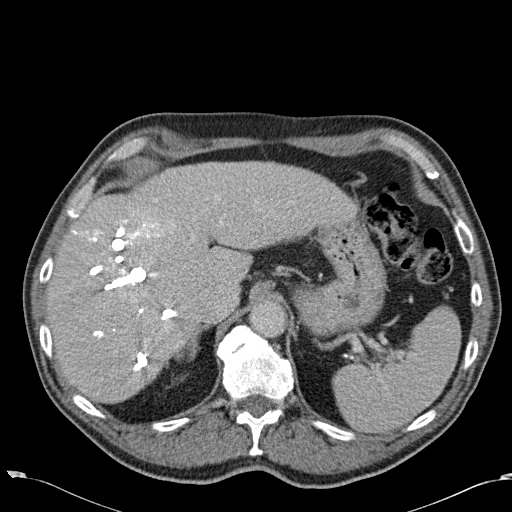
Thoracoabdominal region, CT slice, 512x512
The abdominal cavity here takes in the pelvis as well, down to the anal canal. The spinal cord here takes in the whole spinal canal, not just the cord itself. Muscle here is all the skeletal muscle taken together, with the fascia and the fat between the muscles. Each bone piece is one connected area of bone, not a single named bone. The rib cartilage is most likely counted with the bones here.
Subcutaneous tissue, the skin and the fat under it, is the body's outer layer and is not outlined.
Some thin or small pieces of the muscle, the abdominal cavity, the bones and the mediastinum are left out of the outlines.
Outlines (x, y in pixels):
spinal cord: (251, 395) (261, 395) (262, 396) (264, 396) (267, 398) (269, 398) (271, 399) (273, 403) (273, 406) (272, 408) (267, 410) (263, 414) (257, 417) (254, 416) (247, 410) (245, 409) (243, 409) (242, 408) (242, 404) (241, 403) (241, 401) (243, 399)
torso: (163, 111) (388, 115) (420, 128) (443, 147) (487, 235) (500, 287) (501, 321) (476, 388) (439, 437) (382, 473) (336, 487) (300, 488) (259, 470) (192, 484) (156, 479) (124, 466) (59, 411) (40, 381) (25, 328) (22, 282) (30, 250) (54, 200) (100, 139) (128, 119)
abdominal cavity: (274, 144) (340, 157) (393, 146) (450, 209) (469, 268) (471, 325) (449, 389) (397, 431) (347, 430) (293, 390) (289, 314) (262, 298) (217, 345) (221, 384) (207, 401) (151, 422) (100, 410) (53, 355) (46, 283) (64, 232) (95, 192) (127, 176) (121, 162) (131, 156)
muscle: (155, 125) (186, 136) (262, 139) (389, 127) (411, 136) (435, 157) (476, 233) (493, 306) (487, 342) (470, 384) (443, 423) (389, 457) (333, 474) (279, 464) (261, 455) (259, 447) (263, 428) (278, 422) (293, 391) (311, 410) (345, 429) (312, 419) (316, 429) (334, 439) (419, 429) (435, 418) (433, 408) (450, 389) (462, 362) (466, 370) (477, 357) (478, 340) (469, 338) (472, 304) (479, 307) (483, 297) (480, 284) (471, 282) (465, 255) (475, 249) (472, 231) (433, 183) (440, 173) (430, 159) (392, 133) (380, 135) (385, 145) (344, 156) (286, 143) (179, 157) (134, 155) (148, 144) (147, 135) (114, 149) (104, 163) (121, 161) (98, 181) (92, 175) (74, 194) (65, 214) (75, 219) (53, 258) (48, 256) (40, 267) (47, 324) (39, 325) (39, 344) (75, 391) (73, 403) (91, 416) (105, 419) (105, 412) (127, 424) (150, 423) (154, 431) (173, 431) (189, 423) (192, 419) (182, 416) (207, 402) (221, 385) (234, 421) (249, 427) (252, 443) (249, 456) (190, 468) (164, 466) (112, 444) (61, 402) (44, 373) (34, 333) (30, 292) (35, 267) (64, 203) (89, 166) (126, 134)
mediastinum 1: (262, 299) (275, 300) (280, 303) (286, 309) (286, 311) (288, 314) (287, 317) (287, 329) (286, 330) (287, 334) (284, 339) (286, 357) (283, 356) (266, 338) (254, 331) (245, 323) (235, 324) (228, 331) (229, 326) (231, 323) (239, 315) (246, 311) (254, 303)
mediastinum 2: (120, 162) (122, 164) (122, 165) (125, 169) (126, 176) (123, 178) (119, 178) (118, 179) (116, 179) (115, 180) (110, 181) (108, 183) (107, 183) (105, 185) (104, 185) (93, 193) (93, 191) (96, 185) (98, 183) (99, 180) (102, 177) (102, 176) (108, 170) (113, 168)
mediastinum 3: (420, 168) (423, 171) (424, 175) (428, 179) (431, 180) (432, 183) (439, 191) (439, 192) (443, 197) (445, 202) (447, 204) (447, 209) (445, 207) (443, 202) (440, 199) (440, 198) (431, 189) (428, 188) (424, 184) (423, 180) (422, 179) (422, 176) (421, 175)
bones 1: (238, 324) (247, 325) (266, 339) (289, 361) (293, 375) (293, 389) (284, 399) (283, 414) (277, 422) (262, 428) (258, 440) (262, 454) (254, 456) (249, 455) (253, 443) (251, 429) (247, 424) (235, 421) (230, 397) (222, 385) (223, 362) (217, 355) (222, 339) with a hole at (251, 395) (261, 395) (262, 396) (264, 396) (267, 398) (269, 398) (271, 399) (273, 403) (273, 406) (272, 408) (267, 410) (263, 414) (257, 417) (254, 416) (247, 410) (245, 409) (243, 409) (242, 408) (242, 404) (241, 403) (241, 401) (243, 399)
bones 2: (383, 134) (392, 134) (395, 136) (399, 136) (411, 143) (418, 149) (421, 150) (429, 159) (433, 166) (438, 171) (439, 176) (435, 179) (430, 179) (428, 178) (425, 175) (424, 171) (420, 166) (407, 153) (400, 148) (398, 148) (393, 145) (383, 142) (380, 138) (381, 135)
bones 3: (92, 176) (96, 176) (97, 178) (97, 181) (92, 191) (91, 196) (85, 204) (84, 207) (81, 210) (79, 215) (76, 218) (72, 219) (68, 217) (66, 214) (66, 209) (68, 205) (70, 203) (71, 200) (74, 197) (75, 194) (80, 189) (80, 188) (88, 181) (88, 180)
bones 4: (141, 136) (147, 136) (148, 137) (148, 142) (147, 144) (146, 144) (141, 150) (135, 154) (131, 155) (129, 157) (127, 157) (125, 159) (121, 159) (120, 160) (116, 160) (115, 161) (111, 161) (108, 163) (105, 163) (107, 157) (114, 150) (125, 142) (133, 138) (140, 137)
bones 5: (453, 209) (454, 209) (456, 211) (456, 213) (464, 221) (464, 222) (471, 231) (472, 237) (473, 238) (473, 244) (474, 245) (474, 249) (471, 254) (464, 253) (460, 246) (460, 244) (458, 241) (458, 239) (454, 231) (454, 223) (455, 222) (455, 219) (451, 214) (451, 211)
bones 6: (312, 420) (320, 420) (326, 423) (328, 423) (331, 425) (336, 426) (343, 430) (345, 430) (346, 431) (351, 431) (355, 434) (355, 438) (351, 440) (342, 440) (341, 439) (334, 438) (326, 434) (320, 429) (318, 429) (316, 428) (311, 423) (311, 421)
bones 7: (181, 417) (189, 417) (191, 419) (191, 420) (181, 427) (178, 427) (173, 430) (169, 430) (168, 431) (163, 431) (162, 432) (160, 432) (159, 431) (154, 430) (151, 428) (151, 423) (152, 422) (167, 421) (168, 420) (172, 420) (173, 419) (176, 419) (177, 418) (180, 418)
bones 8: (76, 393) (83, 396) (86, 399) (87, 399) (97, 409) (98, 409) (102, 413) (103, 413) (106, 417) (105, 418) (101, 418) (95, 415) (91, 415) (85, 412) (82, 409) (81, 409) (76, 404) (74, 403) (72, 399) (72, 396) (73, 394) (75, 394)
bones 9: (42, 323) (44, 323) (47, 325) (47, 326) (49, 329) (49, 331) (50, 332) (50, 335) (51, 336) (51, 350) (52, 351) (52, 357) (51, 358) (49, 358) (46, 355) (45, 352) (43, 350) (43, 349) (40, 344) (40, 341) (39, 340) (39, 328) (40, 327) (40, 325)
bones 10: (472, 337) (474, 337) (476, 338) (477, 340) (477, 342) (478, 343) (477, 354) (476, 355) (476, 357) (475, 359) (472, 362) (472, 363) (466, 369) (464, 369) (463, 368) (463, 362) (464, 361) (464, 353) (465, 352) (465, 349) (466, 348) (467, 343) (469, 339)
bones 11: (432, 408) (436, 411) (436, 414) (434, 418) (431, 421) (430, 421) (427, 424) (419, 428) (417, 428) (413, 430) (410, 430) (409, 431) (404, 431) (404, 429) (417, 417) (418, 417) (420, 415) (423, 414) (425, 412) (426, 412) (428, 410)
bones 12: (50, 256) (52, 257) (53, 259) (53, 265) (52, 266) (51, 273) (50, 274) (50, 276) (48, 280) (46, 282) (44, 283) (42, 283) (40, 282) (39, 280) (39, 273) (40, 272) (40, 270) (41, 269) (41, 267) (43, 263) (46, 260) (46, 259)